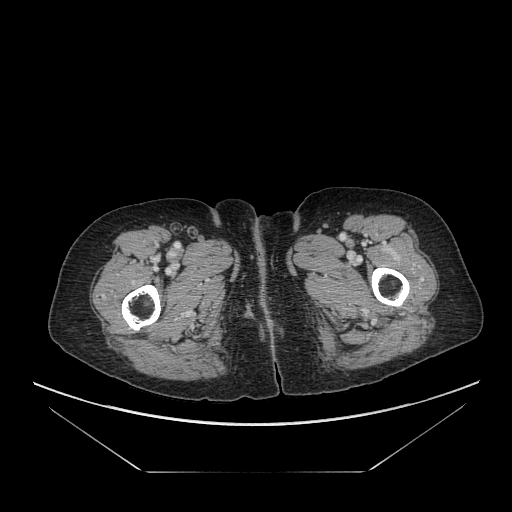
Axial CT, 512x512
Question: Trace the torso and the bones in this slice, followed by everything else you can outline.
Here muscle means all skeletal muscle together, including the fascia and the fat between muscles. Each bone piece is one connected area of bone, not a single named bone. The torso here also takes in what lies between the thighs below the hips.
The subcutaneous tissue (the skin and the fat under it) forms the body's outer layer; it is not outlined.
Answer: torso: (226, 198) (239, 198) (249, 202) (253, 205) (257, 214) (262, 213) (271, 214) (280, 210) (293, 210) (296, 208) (297, 216) (296, 225) (288, 238) (274, 248) (272, 251) (269, 252) (259, 263) (246, 252) (232, 234) (223, 228) (216, 213) (211, 206) (218, 201)
bones 1: (145, 284) (152, 284) (157, 289) (157, 291) (159, 294) (159, 297) (160, 298) (161, 310) (160, 311) (159, 317) (156, 321) (149, 325) (146, 325) (141, 327) (138, 331) (135, 331) (133, 329) (130, 328) (126, 321) (123, 318) (121, 313) (121, 303) (123, 298) (129, 292)
bones 2: (381, 266) (392, 268) (399, 271) (405, 276) (405, 277) (409, 282) (409, 292) (402, 304) (398, 307) (397, 306) (393, 306) (392, 305) (388, 305) (387, 304) (382, 303) (376, 298) (373, 293) (373, 291) (371, 287) (371, 276) (372, 275) (372, 272) (376, 267) (380, 267)
left leg: (330, 186) (390, 188) (415, 195) (432, 206) (450, 228) (478, 291) (483, 306) (483, 326) (478, 336) (472, 341) (429, 358) (381, 382) (332, 394) (285, 396) (280, 389) (280, 377) (277, 374) (273, 325) (263, 299) (260, 263) (292, 234) (298, 220) (296, 207) (304, 197)
muscle 1: (145, 224) (159, 225) (191, 236) (223, 238) (237, 249) (240, 263) (223, 333) (231, 361) (231, 368) (226, 376) (199, 381) (171, 380) (150, 376) (128, 365) (105, 345) (101, 337) (100, 322) (89, 303) (90, 284) (96, 270) (109, 259) (112, 241) (116, 234) (131, 225), around a hole outlined by (145, 284) (152, 284) (157, 289) (157, 291) (159, 294) (159, 297) (160, 298) (161, 310) (160, 311) (159, 317) (156, 321) (149, 325) (146, 325) (141, 327) (138, 331) (135, 331) (133, 329) (130, 328) (126, 321) (123, 318) (121, 313) (121, 303) (123, 298) (129, 292)
muscle 2: (362, 212) (400, 215) (415, 227) (420, 248) (430, 257) (438, 272) (439, 292) (430, 305) (430, 309) (436, 318) (436, 327) (429, 342) (415, 352) (366, 368) (325, 373) (317, 368) (316, 337) (312, 309) (286, 267) (284, 250) (287, 244) (298, 235) (332, 227) (350, 215) with a hole at (381, 266) (392, 268) (399, 271) (405, 276) (405, 277) (409, 282) (409, 292) (402, 304) (398, 307) (397, 306) (393, 306) (392, 305) (388, 305) (387, 304) (382, 303) (376, 298) (373, 293) (373, 291) (371, 287) (371, 276) (372, 275) (372, 272) (376, 267) (380, 267)
right leg: (166, 197) (194, 198) (209, 204) (222, 228) (232, 235) (261, 267) (262, 299) (272, 325) (276, 379) (280, 390) (276, 398) (209, 402) (179, 400) (152, 394) (92, 369) (66, 354) (50, 338) (47, 319) (58, 273) (69, 247) (77, 236) (92, 221) (112, 209)